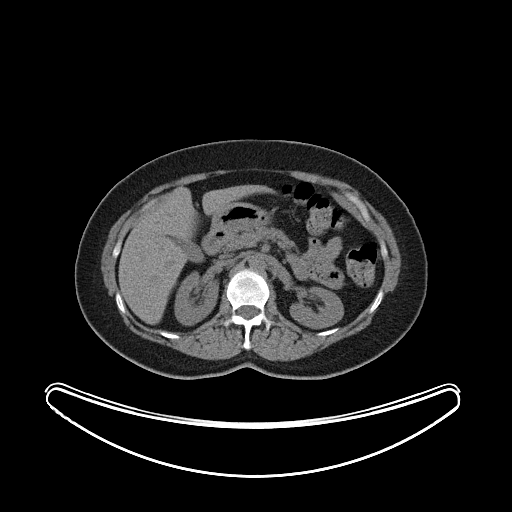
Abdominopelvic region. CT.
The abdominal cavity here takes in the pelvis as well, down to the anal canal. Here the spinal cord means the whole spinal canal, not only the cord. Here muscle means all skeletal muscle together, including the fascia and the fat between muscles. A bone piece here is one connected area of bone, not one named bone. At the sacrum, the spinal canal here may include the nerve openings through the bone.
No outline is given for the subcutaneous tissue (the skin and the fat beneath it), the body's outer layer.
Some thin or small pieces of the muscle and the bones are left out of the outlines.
The abdominal cavity is outlined by (244, 171) (285, 174) (323, 185) (376, 238) (384, 267) (381, 284) (371, 303) (351, 321) (320, 331) (301, 328) (282, 315) (273, 286) (247, 267) (229, 278) (217, 312) (192, 330) (173, 332) (149, 327) (127, 309) (116, 281) (116, 260) (128, 230) (155, 202) (179, 187). The muscle is outlined by (248, 167) (316, 173) (344, 181) (354, 187) (382, 214) (393, 232) (401, 257) (396, 289) (366, 327) (311, 355) (290, 361) (268, 360) (251, 350) (244, 350) (227, 359) (207, 360) (187, 355) (134, 333) (124, 323) (117, 308) (123, 314) (128, 311) (144, 326) (159, 330) (163, 337) (179, 339) (180, 336) (176, 333) (192, 331) (218, 312) (225, 290) (231, 313) (220, 323) (225, 327) (231, 324) (242, 326) (241, 346) (250, 350) (250, 333) (254, 326) (263, 324) (268, 331) (272, 326) (280, 324) (265, 313) (265, 305) (270, 296) (269, 284) (275, 292) (275, 302) (281, 315) (303, 330) (316, 332) (318, 337) (335, 333) (368, 306) (367, 312) (370, 314) (380, 305) (384, 297) (380, 288) (384, 277) (384, 260) (388, 256) (385, 242) (382, 239) (379, 242) (369, 229) (337, 202) (323, 184) (285, 173) (258, 170) (212, 175) (183, 184) (156, 201) (152, 198) (143, 204) (140, 209) (147, 209) (111, 251) (112, 257) (116, 259) (115, 281) (118, 289) (114, 294) (114, 301) (104, 285) (101, 256) (109, 230) (117, 219) (148, 191) (163, 183) (194, 173) with a hole at (346, 191) (347, 191) (348, 192) (351, 192) (354, 195) (355, 195) (365, 205) (365, 206) (370, 215) (370, 220) (369, 221) (366, 221) (364, 219) (364, 218) (362, 216) (362, 215) (360, 213) (360, 212) (355, 207) (355, 206) (344, 196) (344, 194) (343, 193). The spinal cord is outlined by (245, 305) (247, 305) (248, 306) (254, 306) (256, 308) (257, 308) (258, 309) (258, 313) (256, 315) (253, 316) (251, 318) (250, 318) (249, 319) (246, 319) (245, 318) (244, 318) (242, 316) (239, 315) (237, 313) (237, 310) (241, 306) (244, 306). The bones appear in 7 outlined pieces: piece 1: (246, 268) (257, 272) (267, 282) (269, 296) (264, 305) (264, 313) (270, 320) (279, 324) (272, 325) (268, 330) (263, 323) (254, 325) (249, 333) (250, 349) (242, 346) (242, 325) (231, 323) (225, 326) (221, 323) (232, 313) (232, 306) (226, 295) (227, 284) (236, 272); inner edge: (245, 305) (247, 305) (248, 306) (254, 306) (256, 308) (257, 308) (258, 309) (258, 313) (256, 315) (253, 316) (251, 318) (250, 318) (249, 319) (246, 319) (245, 318) (244, 318) (242, 316) (239, 315) (237, 313) (237, 310) (241, 306) (244, 306); piece 2: (346, 191) (347, 191) (348, 192) (351, 192) (354, 195) (355, 195) (365, 205) (365, 206) (370, 215) (370, 220) (369, 221) (366, 221) (364, 219) (364, 218) (362, 216) (362, 215) (360, 213) (360, 212) (355, 207) (355, 206) (344, 196) (344, 194) (343, 193); piece 3: (380, 289) (381, 289) (383, 292) (383, 297) (382, 298) (382, 300) (381, 301) (381, 302) (379, 304) (379, 305) (372, 312) (369, 313) (368, 312) (368, 311) (369, 310) (369, 308) (370, 307) (372, 302) (374, 300) (374, 299) (375, 298) (375, 297) (376, 296) (378, 291); piece 4: (117, 292) (119, 292) (119, 293) (120, 294) (120, 295) (123, 300) (123, 302) (124, 303) (124, 304) (125, 305) (125, 307) (127, 310) (126, 313) (123, 313) (122, 312) (121, 312) (120, 311) (120, 310) (117, 307) (117, 305) (116, 304) (116, 302) (115, 301) (115, 294); piece 5: (336, 327) (338, 327) (338, 329) (335, 332) (334, 332) (333, 333) (331, 333) (330, 334) (328, 334) (327, 335) (325, 335) (324, 336) (318, 336) (317, 335) (316, 335) (316, 333) (317, 332) (320, 332) (321, 331) (328, 330) (329, 329) (331, 329) (332, 328) (335, 328); piece 6: (160, 330) (163, 330) (164, 331) (166, 331) (167, 332) (172, 332) (173, 333) (175, 333) (177, 335) (178, 335) (179, 336) (179, 338) (168, 338) (167, 337) (165, 337) (164, 336) (163, 336) (161, 334) (160, 334) (160, 333) (159, 332) (159, 331); piece 7: (152, 199) (153, 199) (154, 200) (153, 201) (153, 202) (147, 208) (146, 208) (145, 209) (144, 209) (143, 210) (142, 210) (141, 209) (142, 208) (142, 207) (143, 206) (143, 205) (144, 205) (146, 203) (147, 203) (150, 200) (151, 200). The torso is outlined by (245, 138) (303, 141) (342, 152) (375, 171) (407, 205) (425, 246) (427, 292) (412, 327) (372, 361) (323, 379) (279, 378) (249, 367) (215, 377) (179, 379) (154, 373) (126, 359) (109, 347) (84, 319) (75, 294) (74, 263) (86, 223) (107, 191) (143, 163) (169, 151).